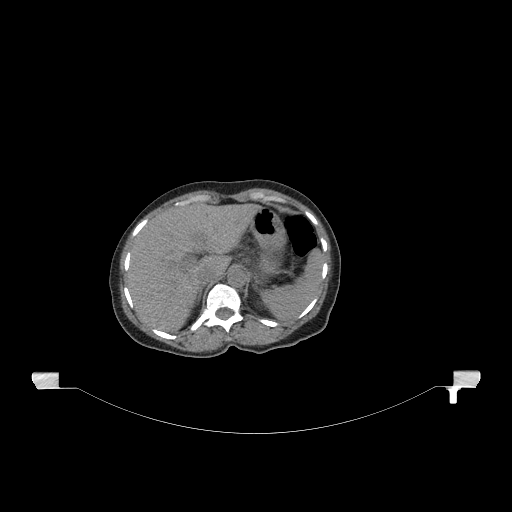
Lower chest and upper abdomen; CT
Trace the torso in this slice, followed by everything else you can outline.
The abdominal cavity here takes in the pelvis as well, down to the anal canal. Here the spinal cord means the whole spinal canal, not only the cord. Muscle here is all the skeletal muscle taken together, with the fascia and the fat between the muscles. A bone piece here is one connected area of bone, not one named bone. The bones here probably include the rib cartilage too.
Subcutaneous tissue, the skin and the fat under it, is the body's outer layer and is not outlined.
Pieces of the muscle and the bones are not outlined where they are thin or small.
The torso is outlined by 253 178; 278 181; 305 194; 321 210; 335 234; 341 255; 341 275; 336 300; 326 327; 292 346; 259 354; 231 346; 224 353; 207 358; 176 355; 134 341; 115 317; 108 284; 111 258; 127 226; 152 200; 179 185; 201 180; 233 181. The mediastinum is outlined by 237 267; 240 267; 242 268; 246 274; 246 281; 245 282; 245 286; 243 291; 243 299; 242 301; 240 298; 240 295; 238 291; 234 287; 226 283; 223 283; 218 281; 222 279; 228 273; 228 272; 229 272; 232 269. The bones appear in 11 outlined pieces: piece 1: 217 283; 226 284; 234 288; 237 291; 241 301; 240 312; 243 315; 243 319; 240 321; 234 322; 230 327; 229 332; 227 332; 220 325; 206 326; 203 324; 201 324; 195 330; 191 331; 189 327; 196 320; 205 307; 206 298; 209 290; inner edge: 220 308; 228 308; 229 309; 230 309; 232 311; 232 314; 229 317; 228 317; 226 319; 222 319; 221 318; 220 318; 219 317; 218 317; 216 315; 216 311; 218 309; 219 309; piece 2: 258 191; 260 191; 266 195; 274 195; 275 196; 278 196; 279 197; 281 197; 285 199; 286 201; 286 203; 282 203; 281 202; 277 202; 276 201; 262 201; 259 199; 250 199; 250 197; 249 195; 253 192; 257 192; piece 3: 201 194; 204 194; 205 195; 208 195; 210 196; 210 198; 209 200; 207 201; 194 201; 193 202; 191 202; 187 204; 184 204; 183 205; 177 205; 176 206; 174 205; 174 203; 178 201; 182 201; 192 196; 194 196; 195 195; 200 195; piece 4: 152 328; 155 328; 158 330; 160 330; 161 331; 163 331; 164 332; 166 332; 170 334; 174 334; 176 335; 177 337; 174 339; 168 339; 167 338; 162 337; 154 333; 152 331; piece 5: 315 296; 316 297; 317 297; 317 300; 316 301; 316 302; 314 304; 314 305; 312 307; 312 308; 306 314; 305 314; 303 316; 302 316; 300 318; 297 318; 296 317; 309 304; 309 303; 312 300; 312 299; piece 6: 145 218; 146 218; 148 220; 147 221; 147 222; 143 226; 143 227; 142 227; 141 228; 141 229; 137 233; 137 234; 135 236; 132 236; 132 231; 133 230; 133 229; 134 228; 134 227; 141 220; 142 220; 143 219; 144 219; piece 7: 258 318; 266 318; 267 319; 270 319; 271 320; 274 320; 275 321; 276 321; 277 322; 278 322; 278 325; 277 325; 276 326; 269 326; 268 325; 266 325; 265 324; 264 324; 263 323; 262 323; 261 322; 260 322; 258 320; piece 8: 125 286; 127 286; 127 287; 129 290; 129 293; 130 294; 131 299; 133 302; 133 305; 134 306; 134 309; 133 308; 131 308; 130 307; 130 306; 127 301; 127 299; 125 296; 125 294; 124 293; 124 291; 123 290; 123 288; piece 9: 305 211; 308 211; 309 212; 310 212; 315 217; 315 218; 316 219; 316 220; 317 221; 317 225; 316 226; 315 226; 310 221; 310 220; 305 215; 305 214; 304 213; 304 212; piece 10: 128 251; 130 251; 130 257; 129 258; 129 267; 128 268; 128 270; 127 271; 126 271; 125 270; 125 269; 124 268; 124 261; 125 260; 125 257; 126 256; 126 254; 127 253; 127 252; piece 11: 324 262; 326 262; 327 263; 327 272; 326 273; 326 275; 325 276; 325 277; 323 279; 321 279; 321 272; 322 271; 322 265; 323 264; 323 263. The abdominal cavity is outlined by 222 199; 276 202; 296 208; 304 214; 315 227; 323 252; 315 295; 291 319; 277 321; 261 317; 242 303; 247 274; 242 267; 237 266; 208 290; 205 305; 188 327; 177 333; 151 327; 138 315; 128 287; 134 238; 149 220; 172 206. The spinal cord is outlined by 220 308; 228 308; 229 309; 230 309; 232 311; 232 314; 229 317; 228 317; 226 319; 222 319; 221 318; 220 318; 219 317; 218 317; 216 315; 216 311; 218 309; 219 309. The muscle is outlined by 254 187; 272 189; 298 200; 312 210; 322 223; 330 241; 332 269; 327 292; 318 313; 278 341; 263 345; 245 345; 228 341; 217 349; 201 352; 173 347; 149 336; 133 324; 123 311; 119 292; 120 255; 131 231; 131 236; 134 237; 133 241; 123 261; 123 268; 127 272; 127 285; 122 290; 129 307; 135 310; 142 321; 157 336; 174 340; 178 337; 175 334; 187 328; 193 332; 201 325; 206 327; 220 326; 229 333; 234 323; 244 319; 241 312; 242 304; 260 317; 257 318; 260 323; 269 327; 276 327; 279 322; 286 322; 293 318; 300 319; 313 308; 318 300; 316 293; 320 280; 323 280; 328 272; 328 263; 324 261; 324 253; 328 249; 328 244; 325 238; 319 236; 317 232; 318 221; 316 217; 308 210; 302 212; 296 207; 286 204; 285 198; 258 190; 251 192; 248 195; 249 199; 246 200; 222 198; 210 201; 210 195; 201 193; 174 202; 173 205; 150 219; 146 217; 141 219; 169 199; 191 191; 205 189; 223 194; 233 194.